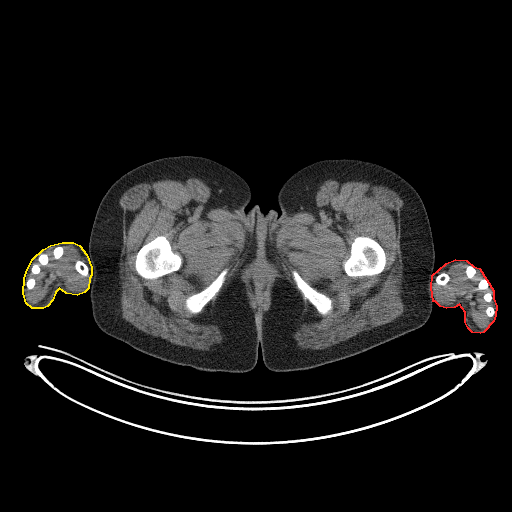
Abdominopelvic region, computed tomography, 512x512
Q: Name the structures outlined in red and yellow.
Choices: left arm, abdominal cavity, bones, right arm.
A: red: left arm; yellow: right arm.
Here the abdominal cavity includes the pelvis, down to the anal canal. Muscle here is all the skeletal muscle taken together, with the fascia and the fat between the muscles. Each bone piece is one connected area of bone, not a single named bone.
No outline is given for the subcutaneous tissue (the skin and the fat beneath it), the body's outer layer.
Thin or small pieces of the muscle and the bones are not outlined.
{"left_arm":[[[455,259],[466,260],[473,266],[479,268],[493,290],[493,298],[496,306],[495,315],[493,321],[483,332],[480,333],[472,332],[468,328],[465,322],[465,312],[459,304],[454,307],[446,308],[440,306],[435,301],[433,301],[431,287],[432,275],[446,263]]],"right_arm":[[[62,242],[73,242],[79,245],[86,254],[91,267],[91,275],[89,278],[88,288],[84,292],[77,295],[66,293],[59,288],[55,292],[52,300],[47,306],[43,308],[32,308],[26,303],[23,293],[24,278],[27,269],[33,258],[43,249],[50,245]]],"bones":[[[159,235],[163,235],[165,236],[171,246],[172,251],[175,253],[177,253],[181,257],[182,259],[181,265],[178,270],[173,271],[155,279],[145,279],[144,278],[142,278],[138,275],[135,270],[134,263],[135,262],[136,254],[140,248],[145,243],[150,241]],[[357,236],[368,236],[376,240],[383,248],[384,252],[385,253],[385,255],[386,256],[386,263],[385,264],[384,269],[380,273],[376,275],[372,275],[371,276],[349,276],[345,272],[344,270],[344,262],[350,256],[351,244],[354,240],[354,239]],[[225,268],[227,268],[228,269],[228,271],[225,277],[225,280],[223,282],[219,290],[199,312],[197,313],[191,313],[185,307],[185,300],[186,298],[188,296],[192,294],[194,294],[201,291],[207,286],[208,286],[216,278],[216,277],[220,273],[220,272]],[[292,270],[295,270],[310,286],[314,288],[320,293],[322,293],[328,296],[331,299],[332,301],[332,309],[328,313],[327,313],[325,315],[321,314],[315,308],[315,307],[306,298],[304,297],[301,291],[297,287],[292,277],[292,274],[291,273]],[[41,253],[45,253],[46,254],[47,254],[47,255],[48,256],[48,262],[47,263],[47,264],[46,264],[45,265],[41,265],[40,266],[40,270],[37,274],[32,274],[32,273],[31,272],[31,266],[34,263],[37,263],[38,262],[38,256]],[[482,278],[485,278],[487,280],[489,284],[488,285],[489,287],[488,289],[490,291],[491,291],[491,293],[492,294],[492,300],[489,302],[487,302],[483,298],[484,294],[487,291],[486,290],[483,290],[482,289],[477,289],[477,287],[478,286],[478,283]],[[78,260],[79,260],[80,261],[82,261],[87,266],[87,267],[88,268],[88,274],[86,276],[84,276],[83,275],[82,275],[79,272],[78,272],[76,270],[76,269],[75,268],[75,263],[76,262],[76,261],[77,261]],[[441,273],[446,273],[448,275],[448,276],[449,277],[449,279],[448,280],[448,281],[445,284],[439,284],[438,283],[437,283],[436,282],[436,277],[438,275],[439,275]],[[57,246],[61,246],[63,248],[63,253],[62,254],[62,255],[59,258],[58,258],[57,259],[55,259],[54,258],[54,256],[53,255],[53,250],[54,249],[54,248],[55,247],[56,247]],[[467,265],[472,265],[475,268],[475,273],[474,274],[474,275],[473,276],[473,277],[472,278],[468,278],[467,277],[467,276],[466,275],[466,272],[465,271],[466,270],[466,267],[467,266]],[[488,306],[491,306],[492,307],[493,307],[493,308],[494,309],[494,310],[495,311],[495,312],[494,313],[494,314],[493,315],[493,316],[492,316],[491,317],[489,317],[486,314],[486,313],[485,312],[485,310],[486,309],[486,308]]],"abdominal_cavity":[[[259,269],[260,270],[262,270],[262,271],[264,272],[267,277],[267,280],[265,285],[265,289],[264,290],[264,294],[263,295],[264,297],[263,298],[263,301],[260,305],[256,299],[256,295],[254,292],[254,289],[252,286],[252,277],[255,272]]],"torso":[[[180,155],[236,172],[251,190],[247,208],[257,204],[263,212],[279,213],[281,186],[316,161],[355,158],[393,170],[419,194],[431,228],[428,320],[359,354],[285,372],[269,370],[260,348],[248,372],[206,371],[106,334],[88,289],[99,203],[129,170]]],"muscle":[{"outer":[[161,176],[200,179],[209,187],[213,205],[231,212],[245,229],[245,241],[237,268],[214,300],[196,316],[200,324],[211,323],[219,328],[223,339],[216,350],[193,349],[150,335],[125,320],[121,313],[119,261],[123,210],[119,203],[120,198],[130,187]],"holes":[[[159,235],[163,235],[165,236],[171,246],[172,251],[175,253],[177,253],[181,257],[182,259],[181,265],[178,270],[173,271],[155,279],[145,279],[144,278],[142,278],[138,275],[135,270],[134,263],[135,262],[136,254],[140,248],[145,243],[150,241]],[[225,268],[227,268],[228,269],[228,271],[225,277],[225,280],[223,282],[219,290],[199,312],[197,313],[191,313],[185,307],[185,300],[186,298],[188,296],[192,294],[194,294],[201,291],[207,286],[208,286],[216,278],[216,277],[220,273],[220,272]]]},{"outer":[[340,178],[363,179],[385,186],[403,202],[399,218],[403,263],[400,295],[404,310],[392,321],[347,340],[323,349],[302,350],[295,344],[293,334],[300,325],[313,323],[317,315],[286,278],[276,252],[276,233],[288,217],[314,207],[316,193],[324,181]],"holes":[[[357,236],[368,236],[376,240],[383,248],[384,252],[385,253],[385,255],[386,256],[386,263],[385,264],[384,269],[380,273],[376,275],[372,275],[371,276],[349,276],[345,272],[344,270],[344,262],[350,256],[351,244],[354,240],[354,239]],[[292,270],[295,270],[310,286],[314,288],[320,293],[322,293],[328,296],[331,299],[332,301],[332,309],[328,313],[327,313],[325,315],[321,314],[315,308],[315,307],[306,298],[304,297],[301,291],[297,287],[292,277],[292,274],[291,273]]]},{"outer":[[65,245],[74,247],[87,261],[91,275],[90,283],[87,286],[77,290],[71,290],[62,281],[54,281],[49,286],[47,293],[41,300],[37,303],[30,302],[27,296],[26,288],[28,290],[32,290],[36,284],[36,280],[33,276],[28,277],[29,273],[30,272],[32,275],[37,275],[41,270],[41,266],[48,264],[49,256],[46,252],[49,250],[53,249],[53,258],[55,260],[59,259],[64,253],[64,248],[62,246]],"hole":[[78,260],[79,260],[80,261],[82,261],[87,266],[87,267],[88,268],[88,274],[86,276],[84,276],[83,275],[82,275],[79,272],[78,272],[76,270],[76,269],[75,268],[75,263],[76,262],[76,261],[77,261]]},[[455,263],[467,264],[464,271],[468,279],[476,270],[482,277],[476,289],[486,291],[482,298],[487,303],[492,301],[492,306],[484,310],[489,319],[483,327],[474,322],[470,305],[463,297],[446,303],[433,293],[432,284],[445,285],[450,279],[446,272]],{"outer":[[259,260],[266,260],[269,261],[275,266],[275,274],[272,283],[272,291],[270,297],[270,305],[268,309],[264,311],[257,311],[250,305],[250,300],[249,299],[247,288],[242,278],[242,271],[243,269],[252,262],[254,261],[258,261]],"hole":[[259,269],[260,270],[262,270],[262,271],[264,272],[267,277],[267,280],[265,285],[265,289],[264,290],[264,294],[263,295],[264,297],[263,298],[263,301],[260,305],[256,299],[256,295],[254,292],[254,289],[252,286],[252,277],[255,272]]}]}